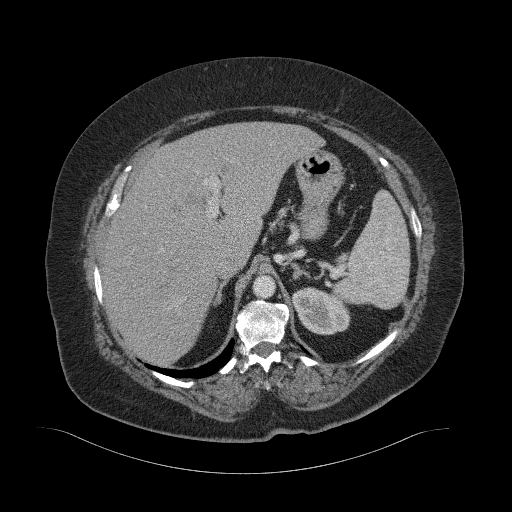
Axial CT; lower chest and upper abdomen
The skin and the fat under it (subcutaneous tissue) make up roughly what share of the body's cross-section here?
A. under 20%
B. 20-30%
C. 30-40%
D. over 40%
Answer: C. 30-40%
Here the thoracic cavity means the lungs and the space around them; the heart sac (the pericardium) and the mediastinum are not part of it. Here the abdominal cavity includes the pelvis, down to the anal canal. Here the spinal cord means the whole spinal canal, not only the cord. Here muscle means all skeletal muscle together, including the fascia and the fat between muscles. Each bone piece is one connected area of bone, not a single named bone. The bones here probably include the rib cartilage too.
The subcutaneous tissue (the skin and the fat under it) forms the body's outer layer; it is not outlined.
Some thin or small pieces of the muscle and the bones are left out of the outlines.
{"mediastinum":[[[258,271],[268,272],[273,276],[277,283],[277,286],[279,288],[279,296],[281,298],[281,302],[277,301],[273,302],[264,299],[252,299],[244,304],[242,307],[242,296],[244,294],[244,290],[246,289],[246,286],[248,284],[250,278],[252,277],[252,275]]],"thoracic_cavity":[[[232,338],[235,339],[235,344],[230,358],[216,372],[204,377],[191,379],[177,378],[162,373],[157,370],[150,369],[144,364],[145,363],[153,366],[157,366],[160,368],[168,368],[175,370],[187,370],[193,368],[198,368],[213,360],[214,358],[219,355]],[[301,347],[302,348],[303,348],[304,349],[305,349],[313,357],[312,357],[311,356],[309,356],[308,355],[307,355],[306,354],[305,354],[304,353],[304,352],[301,349]]],"bones":[{"outer":[[252,300],[283,303],[287,306],[289,315],[279,348],[282,357],[292,367],[273,362],[266,373],[255,363],[241,373],[237,363],[227,373],[220,374],[218,370],[233,355],[236,355],[239,362],[246,358],[236,350],[240,340],[235,325],[238,312]],"hole":[[261,342],[268,342],[269,343],[271,343],[272,344],[275,345],[275,348],[267,356],[266,356],[265,357],[263,357],[262,356],[261,356],[260,355],[259,355],[258,354],[257,354],[252,351],[253,348],[256,345],[257,345],[259,343],[260,343]]},[[128,165],[131,165],[132,168],[128,172],[127,178],[124,183],[121,192],[121,196],[119,199],[119,205],[110,217],[106,217],[104,215],[104,210],[105,209],[106,203],[110,197],[110,193],[114,184],[114,182],[116,178],[122,172],[123,169]],[[394,328],[399,328],[400,329],[399,332],[396,335],[395,338],[380,353],[379,353],[373,358],[370,358],[367,360],[365,360],[356,365],[353,365],[352,364],[357,359],[363,356],[373,346],[382,340],[390,332],[391,332],[392,330],[394,329]],[[151,370],[157,371],[162,374],[164,374],[165,375],[167,375],[177,379],[181,379],[186,381],[188,380],[193,380],[194,381],[194,384],[189,388],[184,388],[179,386],[173,386],[160,380],[154,376],[151,373]],[[410,206],[413,206],[413,207],[415,209],[415,211],[419,218],[419,220],[421,224],[421,228],[422,229],[422,234],[421,235],[421,239],[419,241],[417,241],[414,235],[413,230],[411,227],[411,224],[410,223],[410,212],[409,211],[409,208]],[[95,264],[96,264],[99,268],[99,274],[100,275],[100,279],[101,280],[101,288],[102,289],[102,298],[103,299],[103,304],[100,304],[99,303],[96,293],[95,292],[95,287],[94,286],[94,277],[93,276],[93,271],[94,270],[94,266]],[[304,354],[305,355],[306,355],[309,357],[311,357],[312,358],[313,358],[314,359],[315,359],[316,360],[317,360],[320,363],[320,364],[319,365],[311,365],[310,366],[306,366],[297,357],[296,357],[296,356],[297,356],[298,355],[303,355]],[[379,156],[381,156],[382,157],[383,157],[384,158],[385,158],[389,162],[389,163],[390,164],[390,167],[391,168],[388,168],[387,169],[386,169],[384,167],[383,167],[381,165],[381,164],[380,163],[380,162],[378,160],[378,157]]],"spinal_cord":[[[261,342],[268,342],[269,343],[271,343],[272,344],[275,345],[275,348],[267,356],[266,356],[265,357],[263,357],[262,356],[261,356],[260,355],[259,355],[258,354],[257,354],[252,351],[253,348],[256,345],[257,345],[259,343],[260,343]]],"torso":[[[251,55],[306,59],[345,71],[387,93],[423,124],[447,158],[458,189],[465,267],[461,299],[431,369],[412,387],[356,420],[317,433],[280,433],[251,443],[209,442],[151,432],[91,410],[66,383],[44,264],[55,183],[81,132],[135,87],[189,64]]],"abdominal_cavity":[[[242,110],[302,118],[353,144],[383,174],[409,219],[417,258],[412,294],[395,327],[356,359],[326,362],[300,349],[286,331],[290,312],[278,283],[263,270],[243,290],[237,337],[198,367],[141,361],[108,313],[100,256],[108,225],[136,177],[174,132]]],"muscle":[{"outer":[[266,104],[289,105],[302,107],[314,111],[322,111],[325,114],[335,117],[359,128],[373,139],[388,147],[404,159],[412,169],[420,183],[422,190],[426,194],[427,202],[429,204],[432,214],[432,219],[435,223],[435,233],[434,234],[435,252],[430,263],[431,268],[429,271],[429,277],[427,284],[426,303],[422,311],[420,321],[417,324],[417,328],[391,355],[388,356],[368,377],[347,396],[331,406],[322,409],[306,411],[292,408],[285,402],[280,400],[272,394],[265,394],[259,400],[254,408],[244,414],[244,417],[242,419],[232,422],[224,422],[210,418],[193,411],[187,406],[177,401],[167,398],[161,394],[145,388],[134,381],[116,366],[104,360],[98,353],[98,350],[94,342],[93,320],[91,315],[92,312],[91,298],[90,291],[86,286],[86,282],[84,279],[85,274],[83,268],[83,258],[80,251],[80,243],[85,221],[85,216],[87,213],[90,201],[94,194],[96,193],[98,186],[112,170],[113,167],[124,158],[139,141],[155,131],[168,125],[178,118],[189,114],[218,108],[242,105],[265,105]],"holes":[[[242,110],[314,122],[372,160],[407,217],[413,206],[421,224],[413,291],[394,326],[400,329],[395,338],[356,365],[355,359],[318,359],[319,365],[306,366],[296,357],[304,352],[286,331],[279,348],[291,368],[273,362],[266,373],[255,363],[241,373],[237,363],[227,373],[192,378],[189,388],[173,386],[136,357],[98,301],[94,266],[100,267],[116,213],[106,217],[104,210],[126,166],[132,168],[120,204],[168,136]],[[379,156],[381,156],[382,157],[383,157],[384,158],[385,158],[389,162],[389,163],[390,164],[390,167],[391,168],[388,168],[387,169],[386,169],[384,167],[383,167],[381,165],[381,164],[380,163],[380,162],[378,160],[378,157]],[[266,381],[267,382],[268,383],[269,384],[270,385],[270,386],[270,387],[270,388],[270,389],[269,390],[268,390],[267,390],[266,389],[265,389],[264,388],[264,387],[264,386],[264,385],[264,384],[264,383],[265,382]]]},[[236,338],[238,338],[238,339],[239,340],[239,343],[235,347],[235,350],[242,357],[245,358],[242,359],[240,361],[239,361],[239,359],[238,358],[237,355],[236,354],[233,354],[233,352],[234,351],[234,348],[235,347],[235,345],[236,344]]]}